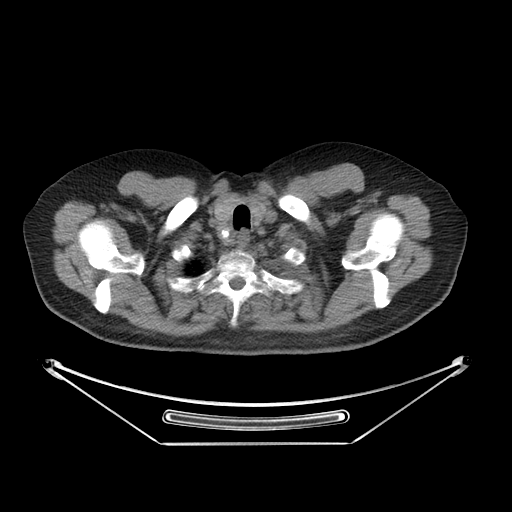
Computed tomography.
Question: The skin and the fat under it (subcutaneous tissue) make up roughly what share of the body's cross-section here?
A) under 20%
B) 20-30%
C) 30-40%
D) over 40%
Answer: C) 30-40%
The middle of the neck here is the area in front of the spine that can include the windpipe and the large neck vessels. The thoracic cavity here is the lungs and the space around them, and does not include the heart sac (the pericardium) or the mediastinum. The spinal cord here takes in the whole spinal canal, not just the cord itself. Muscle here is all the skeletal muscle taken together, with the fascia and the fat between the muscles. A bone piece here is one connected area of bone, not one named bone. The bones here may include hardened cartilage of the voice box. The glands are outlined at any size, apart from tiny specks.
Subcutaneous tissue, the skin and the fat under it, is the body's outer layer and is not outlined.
Outlined structures:
torso: [[330,140],[377,148],[415,166],[398,194],[402,233],[421,254],[459,266],[443,302],[406,329],[368,346],[329,353],[161,351],[98,339],[42,301],[34,280],[56,273],[98,235],[91,189],[74,167],[114,152],[151,147],[190,156],[216,172],[241,175]]
right arm: [[72,168],[81,175],[90,189],[95,206],[95,214],[97,222],[97,235],[90,243],[67,264],[57,270],[56,272],[43,278],[34,279],[32,275],[30,262],[23,239],[22,233],[23,218],[25,214],[35,203],[40,193],[47,186],[54,182],[64,173]]
thyroid glands: [[228,198],[252,199],[262,203],[265,206],[266,211],[261,222],[258,225],[254,224],[254,219],[251,213],[250,208],[246,203],[243,202],[238,202],[234,204],[229,211],[228,218],[223,222],[219,221],[214,214],[214,206],[216,203],[221,202],[223,200]]
spinal cord: [[236,277],[240,277],[241,278],[242,278],[243,279],[243,280],[244,281],[244,284],[243,285],[243,286],[241,288],[240,288],[239,289],[234,289],[233,288],[232,288],[231,287],[231,286],[230,285],[230,281],[232,279],[233,279],[234,278],[235,278]]
thoracic cavity: [[196,258],[198,258],[199,259],[200,258],[204,258],[204,259],[206,261],[206,266],[207,267],[207,268],[202,272],[201,272],[196,275],[192,275],[191,276],[190,275],[188,275],[186,272],[186,268],[187,267],[187,265]]
bones 1: [[232,249],[250,253],[260,266],[278,277],[299,280],[303,288],[292,294],[276,290],[269,296],[254,293],[241,305],[237,324],[231,327],[233,306],[226,296],[219,292],[203,295],[196,290],[177,291],[170,288],[166,280],[196,276],[212,266],[221,254]], around a hole outlined by [[236,277],[240,277],[241,278],[242,278],[243,279],[243,280],[244,281],[244,284],[243,285],[243,286],[241,288],[240,288],[239,289],[234,289],[233,288],[232,288],[231,287],[231,286],[230,285],[230,281],[232,279],[233,279],[234,278],[235,278]]
bones 2: [[383,212],[399,216],[405,229],[395,255],[390,260],[378,265],[378,269],[388,279],[388,295],[391,300],[385,307],[377,309],[373,301],[373,284],[370,272],[367,269],[345,269],[341,264],[341,258],[346,252],[357,251],[365,246],[372,221]]
bones 3: [[94,219],[103,220],[111,229],[114,241],[120,253],[124,255],[131,255],[134,253],[140,253],[143,256],[145,264],[143,271],[140,275],[128,272],[111,273],[103,269],[97,269],[90,265],[88,262],[87,257],[80,249],[78,242],[78,231],[85,223]]
bones 4: [[189,195],[192,195],[193,196],[195,196],[198,199],[198,207],[196,209],[196,210],[194,212],[193,212],[177,228],[176,228],[173,231],[171,231],[168,233],[164,233],[164,223],[166,220],[166,218],[169,212],[171,210],[171,209],[180,200]]
bones 5: [[284,194],[291,194],[292,195],[294,195],[302,199],[306,203],[307,206],[309,208],[309,211],[310,212],[310,216],[309,217],[309,221],[308,223],[306,223],[303,221],[300,221],[296,219],[287,212],[281,209],[279,207],[278,205],[278,198],[280,196]]
bones 6: [[106,277],[110,277],[111,278],[111,280],[110,281],[110,293],[111,294],[111,303],[110,304],[110,306],[107,313],[104,314],[98,311],[94,307],[92,303],[92,301],[95,297],[95,295],[94,294],[95,288],[97,286],[98,283],[101,280]]
bones 7: [[291,247],[295,247],[296,248],[297,248],[299,250],[300,250],[302,252],[303,252],[305,254],[305,256],[306,257],[305,260],[303,262],[302,262],[300,264],[299,264],[298,265],[293,265],[291,263],[284,260],[281,257],[281,256],[288,249],[289,249]]
bones 8: [[183,244],[186,244],[188,246],[188,247],[190,249],[190,250],[193,254],[190,258],[189,258],[188,259],[186,259],[182,262],[179,262],[177,260],[176,260],[172,256],[172,255],[171,254],[171,252],[173,249],[174,249],[175,248],[179,248]]
left arm: [[417,167],[431,178],[443,184],[449,191],[452,198],[465,212],[467,216],[467,220],[468,221],[467,240],[464,252],[459,265],[429,257],[425,254],[421,253],[409,242],[403,233],[402,227],[400,224],[399,209],[398,208],[400,189],[402,185]]
muscle: [[342,162],[362,170],[361,196],[376,190],[414,194],[429,207],[434,259],[392,299],[379,265],[396,255],[406,225],[394,212],[379,213],[364,246],[340,258],[345,270],[369,272],[376,309],[335,329],[302,334],[225,328],[170,336],[109,314],[110,276],[97,283],[92,306],[54,272],[55,211],[72,199],[124,205],[116,185],[128,171],[183,175],[201,188],[226,178],[234,190],[245,191],[257,180],[283,186],[296,175]]; inner edges: [[228,198],[256,200],[277,216],[268,235],[247,251],[276,276],[304,285],[292,294],[254,293],[241,305],[235,327],[229,324],[233,306],[226,296],[177,291],[166,280],[187,277],[187,265],[196,258],[209,268],[230,250],[217,244],[208,225],[215,204]], then [[94,219],[103,220],[111,229],[114,241],[120,253],[124,255],[131,255],[134,253],[140,253],[143,256],[145,264],[143,271],[140,275],[128,272],[111,273],[103,269],[97,269],[90,265],[88,262],[87,257],[80,249],[78,242],[78,231],[85,223]], then [[189,195],[192,195],[193,196],[195,196],[198,199],[198,207],[196,209],[196,210],[194,212],[193,212],[177,228],[176,228],[173,231],[171,231],[168,233],[164,233],[164,223],[166,220],[166,218],[169,212],[171,210],[171,209],[180,200]], then [[284,194],[291,194],[292,195],[294,195],[302,199],[306,203],[307,206],[309,208],[309,211],[310,212],[310,216],[309,217],[309,221],[308,223],[306,223],[303,221],[300,221],[296,219],[287,212],[281,209],[279,207],[278,205],[278,198],[280,196]], then [[291,247],[295,247],[296,248],[297,248],[299,250],[300,250],[302,252],[303,252],[305,254],[305,256],[306,257],[305,260],[303,262],[302,262],[300,264],[299,264],[298,265],[293,265],[291,263],[284,260],[281,257],[281,256],[288,249],[289,249]], then [[183,244],[186,244],[188,246],[188,247],[190,249],[190,250],[193,254],[190,258],[189,258],[188,259],[186,259],[182,262],[179,262],[177,260],[176,260],[172,256],[172,255],[171,254],[171,252],[173,249],[174,249],[175,248],[179,248]]
middle of the neck: [[238,203],[247,205],[255,226],[258,226],[262,222],[267,210],[273,212],[277,216],[268,235],[254,244],[247,251],[240,248],[228,249],[220,246],[217,244],[209,227],[210,226],[208,225],[208,220],[213,209],[215,218],[223,223],[229,218],[232,207]]